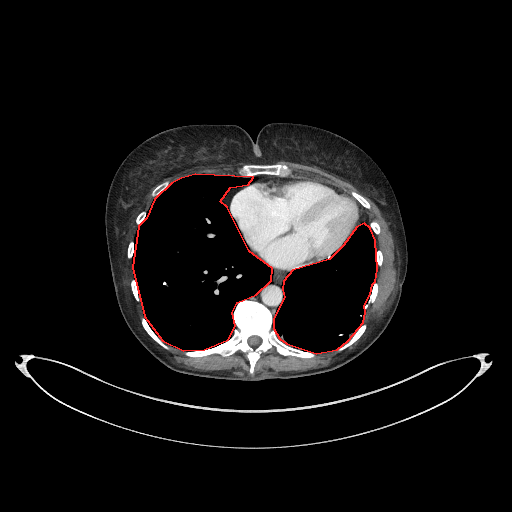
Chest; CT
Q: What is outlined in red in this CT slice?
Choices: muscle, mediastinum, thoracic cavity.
A: red: thoracic cavity.
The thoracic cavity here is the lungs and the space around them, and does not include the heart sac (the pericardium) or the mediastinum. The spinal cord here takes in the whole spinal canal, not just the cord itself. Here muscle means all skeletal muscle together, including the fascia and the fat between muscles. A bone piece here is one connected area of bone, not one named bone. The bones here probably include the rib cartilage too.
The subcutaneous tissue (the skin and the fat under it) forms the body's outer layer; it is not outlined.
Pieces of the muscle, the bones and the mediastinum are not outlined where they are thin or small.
{"thoracic_cavity":[[[183,350],[204,349],[228,339],[235,326],[232,312],[237,302],[256,294],[271,280],[272,268],[249,251],[227,207],[220,201],[230,187],[248,184],[253,177],[195,174],[181,178],[171,183],[154,199],[146,218],[138,226],[132,267],[144,316],[162,340]],[[316,353],[337,349],[348,340],[363,322],[365,312],[364,305],[370,294],[372,284],[375,281],[377,269],[375,240],[370,228],[364,223],[356,227],[343,245],[329,259],[292,270],[283,281],[282,289],[284,297],[273,318],[273,328],[279,338],[286,343]]],"torso":[[[242,382],[307,377],[346,364],[381,335],[400,300],[408,254],[394,191],[381,168],[364,150],[320,127],[270,122],[260,129],[255,140],[236,124],[187,124],[165,129],[128,153],[108,189],[104,222],[109,264],[117,303],[130,331],[158,361],[178,373]]],"muscle":[[[251,377],[258,374],[303,371],[334,362],[353,349],[367,335],[387,311],[396,293],[400,260],[389,229],[389,222],[376,205],[353,184],[316,166],[287,161],[208,164],[186,168],[160,182],[164,180],[172,182],[195,173],[238,175],[237,169],[245,163],[278,162],[285,163],[292,169],[293,172],[288,177],[317,179],[350,194],[352,190],[362,194],[371,204],[368,210],[369,222],[375,219],[381,226],[381,231],[375,235],[375,238],[376,248],[383,252],[384,261],[377,270],[378,295],[365,313],[364,322],[367,324],[367,329],[356,342],[343,351],[334,350],[304,359],[283,357],[272,348],[261,354],[252,376],[248,373],[249,364],[245,353],[240,351],[228,357],[212,354],[192,358],[185,356],[184,351],[171,346],[165,350],[141,326],[142,309],[130,289],[129,283],[133,278],[133,272],[131,260],[126,257],[127,244],[134,239],[137,229],[135,217],[141,210],[148,210],[154,198],[151,196],[151,191],[155,186],[150,189],[137,210],[126,234],[122,283],[126,293],[126,304],[144,335],[171,361],[192,370]]],"mediastinum":[[[273,315],[274,315],[277,307],[282,300],[283,293],[281,289],[281,284],[283,279],[289,271],[282,271],[272,267],[273,268],[272,280],[268,284],[264,285],[261,288],[260,291],[256,295],[251,297],[250,299],[253,299],[262,303],[270,310]],[[358,225],[362,222],[364,222],[365,223],[368,224],[368,218],[367,217],[367,210],[366,209],[363,208],[357,202],[357,201],[355,199],[354,199],[355,200],[355,201],[358,204],[360,209],[361,209],[362,210],[362,218],[360,220],[360,222],[358,224]],[[224,204],[225,204],[225,199],[227,197],[227,196],[228,195],[229,195],[229,194],[230,193],[231,193],[231,192],[232,191],[233,191],[234,190],[241,187],[232,187],[231,188],[230,188],[229,189],[226,196],[221,201]]],"spinal_cord":[[[252,347],[256,347],[257,346],[258,346],[260,344],[260,343],[261,342],[261,339],[260,338],[260,337],[259,337],[258,336],[255,336],[254,335],[253,336],[251,336],[250,337],[249,337],[248,338],[248,343],[249,344],[249,345],[250,346],[251,346]]],"pericardium":[[[282,270],[294,269],[325,258],[329,258],[342,245],[361,218],[361,210],[351,197],[344,192],[334,188],[333,186],[330,186],[329,184],[309,179],[285,182],[255,182],[232,192],[228,196],[226,199],[226,205],[242,233],[250,251],[266,263]]],"bones":[{"outer":[[252,375],[260,354],[272,347],[283,356],[309,358],[315,353],[294,348],[280,340],[272,328],[273,316],[269,310],[256,301],[244,299],[238,302],[233,312],[236,326],[228,340],[184,354],[192,357],[212,353],[228,356],[240,350],[246,353]],"hole":[[252,347],[256,347],[257,346],[258,346],[260,344],[260,343],[261,342],[261,339],[260,338],[260,337],[259,337],[258,336],[255,336],[254,335],[253,336],[251,336],[250,337],[249,337],[248,338],[248,343],[249,344],[249,345],[250,346],[251,346]]},[[242,177],[251,177],[252,176],[260,175],[261,174],[265,174],[266,175],[274,175],[275,176],[279,176],[280,177],[287,177],[290,174],[291,174],[292,171],[291,169],[285,164],[279,164],[278,163],[272,164],[271,165],[245,164],[238,169],[238,174]],[[165,349],[167,349],[168,348],[168,345],[167,345],[163,341],[162,341],[155,334],[155,333],[151,329],[151,328],[147,323],[145,318],[143,316],[141,318],[141,323],[142,324],[142,326],[147,332],[147,333],[157,343],[158,343],[162,347],[163,347]],[[339,350],[343,350],[348,346],[351,345],[355,341],[356,341],[365,331],[366,329],[366,324],[365,323],[363,323],[359,327],[359,328],[351,336],[349,340],[346,343],[345,343],[343,345],[339,347],[338,349]],[[368,209],[369,208],[370,208],[370,204],[369,203],[369,202],[362,195],[361,195],[359,193],[357,193],[356,192],[355,192],[354,191],[352,191],[351,192],[351,195],[354,198],[355,198],[358,201],[358,202],[363,207],[364,207],[365,208],[367,208]],[[366,310],[368,306],[371,303],[374,302],[375,300],[375,298],[377,295],[377,292],[378,291],[378,284],[376,282],[375,282],[373,284],[373,287],[372,288],[372,291],[371,292],[371,294],[369,297],[369,299],[367,303],[365,305],[365,309]],[[154,197],[155,197],[158,194],[159,194],[170,183],[169,182],[169,181],[164,181],[163,182],[162,182],[161,183],[160,183],[158,185],[157,185],[153,189],[153,190],[152,191],[152,196],[153,196]],[[137,301],[140,301],[140,299],[137,293],[137,287],[136,286],[136,283],[135,282],[135,280],[134,279],[132,279],[130,283],[131,285],[131,289],[132,290],[133,295],[135,299]],[[375,234],[378,234],[379,233],[379,232],[380,231],[380,226],[379,225],[379,224],[375,220],[372,220],[369,223],[369,225],[370,226],[370,227],[371,228],[371,229],[372,230],[372,231]],[[138,225],[139,224],[140,224],[143,221],[143,220],[145,218],[145,216],[146,215],[146,211],[145,211],[144,210],[143,210],[142,211],[141,211],[137,215],[137,216],[136,217],[136,223]]]}